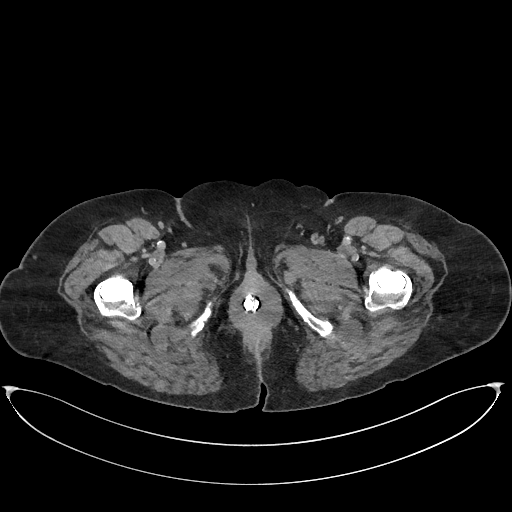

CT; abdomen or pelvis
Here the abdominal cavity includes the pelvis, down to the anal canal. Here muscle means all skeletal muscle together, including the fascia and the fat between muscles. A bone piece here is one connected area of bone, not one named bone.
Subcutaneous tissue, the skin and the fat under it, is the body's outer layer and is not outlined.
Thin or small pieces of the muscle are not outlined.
The torso is outlined by 273 178; 311 185; 329 196; 346 191; 413 196; 482 231; 499 250; 511 279; 507 317; 487 342; 336 403; 263 411; 262 384; 256 406; 213 412; 126 393; 23 356; 4 339; 0 283; 66 209; 135 188; 179 197; 204 182; 257 185. The bones appear in 4 outlined pieces: piece 1: 383 265; 388 265; 394 269; 400 269; 404 271; 411 279; 412 282; 412 293; 407 303; 400 309; 393 309; 390 307; 387 307; 381 310; 371 312; 369 311; 364 305; 364 298; 365 298; 368 294; 368 277; 369 274; 372 271; 376 270; piece 2: 117 274; 120 274; 123 277; 127 278; 133 284; 134 287; 134 295; 137 297; 137 299; 141 306; 141 313; 134 322; 130 321; 120 316; 104 316; 102 315; 100 313; 94 301; 93 298; 93 290; 95 286; 100 281; 112 275; 116 275; piece 3: 285 288; 291 289; 296 294; 297 297; 302 303; 316 317; 323 320; 328 320; 333 325; 333 331; 332 332; 333 333; 333 337; 332 338; 322 337; 319 335; 318 333; 313 330; 303 320; 301 316; 296 311; 292 305; 289 296; 284 289; piece 4: 209 300; 211 300; 213 303; 212 305; 212 307; 211 308; 211 314; 207 319; 207 320; 204 323; 204 325; 202 329; 200 331; 199 331; 195 336; 193 337; 191 336; 190 334; 190 328; 189 327; 189 324; 202 312; 206 303. The abdominal cavity is outlined by 247 294; 255 294; 256 295; 257 295; 259 297; 259 299; 261 302; 261 304; 260 305; 260 307; 254 313; 253 313; 252 314; 250 314; 249 313; 247 313; 246 312; 245 312; 242 309; 242 307; 240 304; 240 302; 241 301; 241 300. The muscle appears in 3 outlined pieces: piece 1: 117 216; 140 216; 151 221; 163 234; 167 253; 221 245; 229 254; 229 285; 209 321; 202 345; 216 358; 223 377; 221 389; 203 395; 170 394; 125 377; 99 358; 93 344; 81 332; 74 308; 58 294; 59 278; 79 246; 95 226; inner edges: 117 274; 120 274; 123 277; 127 278; 133 284; 134 287; 134 295; 137 297; 137 299; 141 306; 141 313; 134 322; 130 321; 120 316; 104 316; 102 315; 100 313; 94 301; 93 298; 93 290; 95 286; 100 281; 112 275; 116 275, then 209 300; 211 300; 213 303; 212 305; 212 307; 211 308; 211 314; 207 319; 207 320; 204 323; 204 325; 202 329; 200 331; 199 331; 195 336; 193 337; 191 336; 190 334; 190 328; 189 327; 189 324; 202 312; 206 303; piece 2: 357 215; 401 220; 437 246; 447 274; 433 294; 427 325; 403 355; 344 386; 309 391; 295 379; 308 340; 285 292; 319 336; 332 339; 334 325; 316 316; 291 288; 283 289; 274 274; 274 249; 280 244; 302 244; 334 250; 344 224 with a hole at 383 265; 388 265; 394 269; 400 269; 404 271; 411 279; 412 282; 412 293; 407 303; 400 309; 393 309; 390 307; 387 307; 381 310; 371 312; 369 311; 364 305; 364 298; 365 298; 368 294; 368 277; 369 274; 372 271; 376 270; piece 3: 249 246; 253 247; 253 255; 257 262; 257 272; 280 295; 284 315; 277 328; 273 331; 271 340; 271 351; 269 356; 262 362; 251 363; 247 363; 245 360; 243 355; 244 351; 242 345; 242 336; 230 323; 227 311; 227 299; 244 278; inner edge: 247 294; 255 294; 256 295; 257 295; 259 297; 259 299; 261 302; 261 304; 260 305; 260 307; 254 313; 253 313; 252 314; 250 314; 249 313; 247 313; 246 312; 245 312; 242 309; 242 307; 240 304; 240 302; 241 301; 241 300.